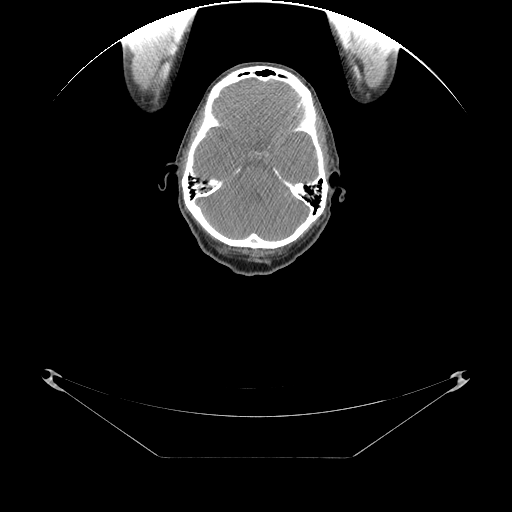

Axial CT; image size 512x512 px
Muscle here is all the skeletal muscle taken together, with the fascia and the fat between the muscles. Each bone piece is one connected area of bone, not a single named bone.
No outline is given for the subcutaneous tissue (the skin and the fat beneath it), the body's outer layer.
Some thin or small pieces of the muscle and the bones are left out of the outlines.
{"bones":[{"outer":[[253,65],[269,65],[285,69],[294,74],[310,90],[316,111],[318,142],[322,151],[325,174],[329,185],[326,204],[321,214],[294,241],[276,248],[231,246],[216,239],[201,226],[184,204],[181,186],[188,151],[201,124],[206,97],[210,89],[228,73]],"hole":[[248,79],[278,82],[295,93],[293,109],[301,115],[289,129],[309,136],[314,150],[312,179],[292,182],[271,168],[307,209],[290,233],[277,238],[254,231],[227,235],[197,203],[224,183],[194,167],[198,146],[210,129],[222,125],[214,102],[222,90]]}],"right_arm":[[[185,10],[194,10],[196,12],[193,19],[193,25],[191,29],[191,33],[170,97],[166,105],[162,109],[154,113],[143,112],[133,103],[127,92],[124,83],[124,78],[122,71],[122,45],[119,40],[127,34],[148,23]]],"left_arm":[[[330,13],[331,14],[336,13],[343,15],[371,26],[398,42],[405,49],[405,50],[402,48],[398,53],[396,71],[391,86],[387,92],[379,99],[371,103],[361,104],[355,101],[351,97],[344,78],[338,52],[330,33],[329,23],[327,18],[327,14]]],"muscle":[[[185,10],[192,10],[192,12],[187,30],[183,38],[183,42],[177,53],[165,90],[157,98],[151,98],[145,96],[137,89],[136,85],[132,80],[129,67],[130,61],[126,54],[124,36],[148,23]],[[330,13],[331,14],[336,13],[362,22],[375,28],[395,40],[394,53],[391,64],[389,66],[389,71],[383,84],[377,90],[369,94],[365,93],[361,94],[356,90],[346,63],[346,59],[343,53],[342,47],[338,40],[337,37],[338,35],[330,16]],[[185,206],[200,226],[216,240],[231,247],[250,249],[276,249],[292,243],[310,227],[322,214],[325,208],[325,214],[321,221],[313,228],[310,233],[299,243],[292,247],[287,254],[273,259],[267,263],[261,263],[240,260],[218,252],[209,243],[186,210]],[[313,96],[317,103],[321,115],[321,118],[325,126],[325,129],[327,133],[327,142],[329,146],[331,156],[333,159],[333,164],[329,169],[327,176],[326,170],[325,169],[324,155],[323,154],[321,145],[319,142],[319,136],[317,130],[317,111],[314,103]],[[204,101],[202,118],[201,119],[200,124],[195,132],[195,135],[193,137],[189,145],[182,174],[181,167],[180,166],[180,159],[182,155],[182,151],[187,142],[187,139],[189,136],[190,130],[199,112],[199,110],[201,108]]],"head":[[[255,60],[290,66],[314,87],[339,156],[341,174],[331,177],[346,193],[339,202],[339,190],[334,192],[326,226],[293,262],[248,276],[201,250],[179,210],[176,177],[167,177],[164,190],[158,184],[175,168],[165,164],[175,158],[208,84],[230,66]]],"brain":[{"outer":[[248,79],[278,82],[295,93],[293,109],[301,115],[289,129],[309,136],[314,150],[312,179],[292,182],[271,168],[307,209],[290,233],[277,238],[254,231],[227,235],[197,203],[224,183],[194,167],[198,146],[210,129],[222,125],[214,102],[222,90]],"hole":[[255,150],[259,150],[260,151],[261,151],[262,150],[265,150],[268,152],[268,155],[267,156],[265,156],[264,155],[263,155],[261,157],[258,157],[256,155],[254,155],[253,154],[250,154],[249,153],[250,152],[250,151],[251,152],[252,151],[254,151]]}]}